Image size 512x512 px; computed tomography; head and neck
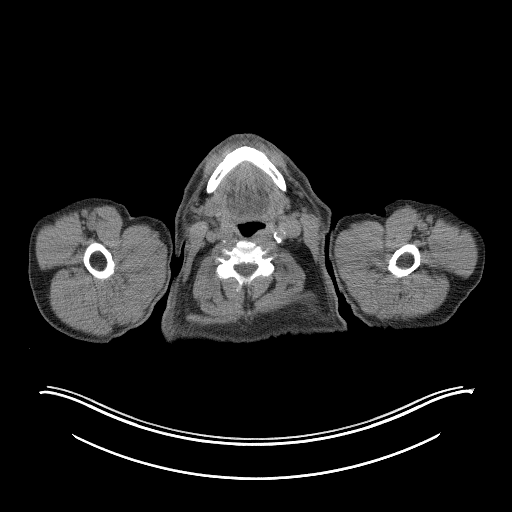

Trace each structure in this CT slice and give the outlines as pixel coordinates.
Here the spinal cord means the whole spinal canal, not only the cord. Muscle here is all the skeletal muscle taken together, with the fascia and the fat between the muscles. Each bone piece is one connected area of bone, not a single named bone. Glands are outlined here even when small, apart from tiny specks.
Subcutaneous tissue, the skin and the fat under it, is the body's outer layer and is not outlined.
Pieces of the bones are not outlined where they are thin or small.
{"left_arm":[[[400,198],[432,202],[447,207],[473,225],[479,231],[485,243],[485,264],[480,281],[449,320],[435,327],[413,330],[384,330],[369,327],[353,314],[339,291],[328,257],[329,232],[340,217],[345,214],[360,212],[375,213],[382,216],[385,213],[385,205]]],"spinal_cord":[[[242,263],[244,263],[245,264],[255,264],[256,265],[256,268],[249,275],[243,275],[242,274],[240,274],[235,269],[235,268],[234,267],[235,266],[235,265],[238,265],[239,264],[241,264]]],"submandibular_glands":[[[278,194],[281,194],[284,197],[285,197],[289,201],[290,201],[291,202],[291,205],[290,206],[290,208],[289,209],[288,209],[287,210],[285,210],[284,211],[283,211],[282,212],[278,212],[277,211],[277,202],[276,201],[276,196]],[[212,199],[215,199],[216,200],[217,200],[217,201],[218,202],[218,207],[219,208],[219,209],[218,210],[217,213],[214,213],[211,215],[208,215],[207,214],[206,214],[204,212],[204,211],[203,210],[203,206],[206,203],[206,202],[208,200],[211,200]]],"right_arm":[[[88,197],[109,198],[119,202],[127,208],[132,216],[149,215],[158,218],[168,226],[173,239],[173,255],[170,262],[172,279],[166,294],[156,303],[145,321],[104,344],[77,340],[53,328],[37,308],[27,272],[29,237],[36,221],[43,215],[68,203]]],"muscle":[{"outer":[[238,139],[257,140],[281,154],[291,174],[302,186],[319,212],[321,218],[319,240],[320,264],[317,266],[311,288],[317,295],[318,304],[322,307],[321,312],[330,318],[327,321],[318,319],[301,304],[282,308],[267,314],[260,314],[251,320],[242,319],[237,323],[231,324],[192,326],[189,325],[186,320],[186,300],[184,293],[184,276],[186,272],[186,239],[183,225],[184,212],[188,201],[202,176],[208,158],[228,142]],"holes":[[[239,240],[255,242],[263,249],[269,248],[269,254],[273,257],[272,263],[274,270],[268,276],[257,276],[248,285],[244,285],[238,291],[236,289],[238,282],[235,278],[221,279],[218,277],[216,274],[217,263],[215,258],[221,254],[222,248],[230,250]],[[244,145],[254,147],[262,151],[267,156],[282,174],[286,183],[286,191],[281,190],[274,183],[272,179],[260,168],[249,161],[242,161],[226,174],[213,192],[211,193],[207,193],[206,192],[207,182],[212,172],[219,162],[223,159],[224,156],[228,152]],[[248,222],[259,222],[263,224],[263,226],[262,227],[260,227],[256,229],[255,231],[253,232],[253,233],[249,235],[245,235],[243,234],[240,231],[239,229],[239,226],[240,224],[245,224]],[[278,194],[281,194],[284,197],[285,197],[289,201],[290,201],[291,202],[291,205],[290,206],[290,208],[289,209],[288,209],[287,210],[285,210],[284,211],[283,211],[282,212],[278,212],[277,211],[277,202],[276,201],[276,196]],[[212,199],[215,199],[216,200],[217,200],[217,201],[218,202],[218,207],[219,208],[219,209],[218,210],[217,213],[214,213],[211,215],[208,215],[207,214],[206,214],[204,212],[204,211],[203,210],[203,206],[206,203],[206,202],[208,200],[211,200]]]},{"outer":[[104,204],[114,206],[128,225],[145,223],[155,229],[167,247],[167,256],[162,286],[143,313],[123,325],[115,325],[109,334],[98,336],[73,329],[55,315],[48,295],[49,276],[39,268],[35,240],[40,227],[47,222],[52,222],[57,216],[75,209]],"hole":[[93,241],[96,241],[101,243],[104,246],[105,246],[105,247],[107,248],[111,253],[112,259],[114,262],[114,271],[108,278],[106,278],[105,279],[99,279],[94,277],[88,271],[84,265],[84,263],[83,262],[83,255],[84,254],[84,251],[86,247]]},{"outer":[[404,205],[434,214],[436,218],[444,217],[468,229],[476,240],[478,259],[473,272],[467,278],[457,276],[450,278],[447,296],[433,312],[409,320],[382,320],[363,311],[349,291],[336,262],[335,240],[338,234],[351,223],[374,220],[383,224],[394,210]],"hole":[[406,243],[413,243],[417,246],[417,247],[420,251],[420,263],[419,265],[413,271],[412,271],[407,275],[405,276],[403,276],[402,277],[396,277],[388,270],[387,268],[388,266],[388,261],[391,257],[394,251],[396,249],[397,249],[399,247],[402,246]]}],"bones":[{"outer":[[239,240],[255,242],[263,249],[269,248],[269,254],[273,257],[272,263],[274,270],[268,276],[257,276],[248,285],[244,285],[238,291],[236,289],[238,282],[235,278],[221,279],[218,277],[216,274],[217,263],[215,258],[221,254],[222,248],[230,250]],"hole":[[242,263],[244,263],[245,264],[255,264],[256,265],[256,268],[249,275],[243,275],[242,274],[240,274],[235,269],[235,268],[234,267],[235,266],[235,265],[238,265],[239,264],[241,264]]},[[244,145],[254,147],[262,151],[267,156],[282,174],[286,183],[286,191],[281,190],[274,183],[272,179],[260,168],[249,161],[242,161],[226,174],[213,192],[211,193],[207,193],[206,192],[207,182],[212,172],[219,162],[223,159],[224,156],[228,152]],[[93,241],[96,241],[101,243],[104,246],[105,246],[105,247],[107,248],[111,253],[112,259],[114,262],[114,271],[108,278],[106,278],[105,279],[99,279],[94,277],[88,271],[84,265],[84,263],[83,262],[83,255],[84,254],[84,251],[86,247]],[[406,243],[413,243],[417,246],[417,247],[420,251],[420,263],[419,265],[413,271],[412,271],[407,275],[405,276],[403,276],[402,277],[396,277],[388,270],[387,268],[388,266],[388,261],[391,257],[394,251],[396,249],[397,249],[399,247],[402,246]]],"head_and_neck":[{"outer":[[236,132],[257,133],[287,154],[330,208],[325,264],[336,292],[339,313],[347,322],[346,332],[285,335],[247,344],[180,341],[171,346],[164,341],[160,319],[168,289],[183,258],[181,253],[178,257],[174,255],[173,235],[174,218],[184,187],[204,156]],"hole":[[248,222],[259,222],[263,224],[263,226],[262,227],[260,227],[256,229],[255,231],[253,232],[253,233],[249,235],[245,235],[243,234],[240,231],[239,229],[239,226],[240,224],[245,224]]}]}